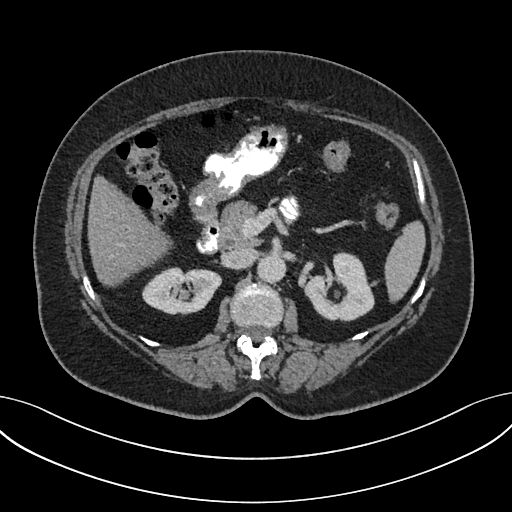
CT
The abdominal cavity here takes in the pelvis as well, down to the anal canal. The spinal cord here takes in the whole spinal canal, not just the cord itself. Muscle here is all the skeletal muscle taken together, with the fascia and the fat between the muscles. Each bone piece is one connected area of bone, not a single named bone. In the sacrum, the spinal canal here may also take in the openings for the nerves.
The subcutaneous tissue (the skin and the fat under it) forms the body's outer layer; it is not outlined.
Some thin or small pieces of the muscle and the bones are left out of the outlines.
Outlines (x, y in pixels):
bones 1: [[252,283],[271,287],[278,292],[283,302],[282,319],[273,329],[277,343],[277,352],[273,355],[266,355],[261,359],[259,364],[261,377],[259,380],[250,378],[251,360],[247,355],[238,350],[236,346],[238,328],[230,315],[230,303],[233,296],[240,289]] with a hole at [[250,325],[261,325],[266,328],[268,328],[271,331],[271,334],[270,334],[269,335],[266,335],[263,338],[263,340],[261,342],[256,344],[253,342],[252,339],[248,335],[247,335],[244,333],[242,333],[242,328],[243,328],[246,326],[249,326]]
bones 2: [[413,158],[416,159],[419,165],[419,168],[421,172],[421,176],[423,180],[424,189],[425,190],[425,205],[422,209],[421,209],[420,207],[420,204],[418,201],[417,182],[416,181],[416,177],[415,176],[415,173],[413,168],[413,164],[412,163],[412,159]]
bones 3: [[423,275],[424,275],[426,277],[426,283],[425,284],[425,286],[424,287],[423,292],[422,294],[418,298],[418,299],[414,303],[410,303],[409,301],[412,297],[412,296],[414,294],[414,293],[416,291],[420,283],[420,281]]
bones 4: [[83,274],[86,274],[87,275],[87,276],[89,279],[89,281],[91,284],[91,286],[92,287],[92,288],[96,295],[96,300],[93,300],[89,296],[89,295],[87,293],[87,292],[84,287],[84,285],[83,284],[83,282],[82,281],[82,275]]
bones 5: [[139,334],[140,335],[142,335],[144,337],[145,337],[148,339],[150,339],[151,340],[153,340],[156,342],[158,342],[159,343],[160,343],[160,345],[159,346],[150,346],[149,345],[148,345],[139,338],[139,337],[138,336],[138,335]]
torso: [[236,49],[303,53],[365,73],[405,98],[449,152],[471,225],[473,305],[455,355],[424,386],[378,405],[316,419],[287,416],[256,396],[224,415],[191,419],[84,385],[47,345],[37,311],[33,226],[42,182],[62,138],[90,104],[118,83],[172,60]]
muscle: [[243,95],[314,102],[399,133],[423,156],[441,210],[441,261],[422,315],[361,365],[310,391],[282,393],[260,380],[262,359],[278,352],[274,329],[284,316],[283,297],[295,303],[297,334],[302,338],[355,341],[408,302],[414,304],[427,283],[430,232],[422,212],[426,190],[420,165],[411,159],[416,192],[404,155],[383,136],[350,122],[258,99],[238,99],[149,126],[120,141],[94,167],[84,199],[80,241],[86,293],[93,301],[97,296],[114,322],[136,332],[150,347],[197,342],[215,327],[221,301],[231,297],[235,346],[249,358],[249,378],[254,380],[234,391],[207,391],[171,378],[105,335],[79,303],[66,260],[63,221],[69,187],[94,149],[160,110],[200,99]]
abdominal cavity: [[238,100],[350,123],[383,137],[401,152],[427,224],[429,255],[415,291],[395,314],[350,337],[316,341],[298,334],[292,298],[252,282],[220,301],[215,325],[205,336],[172,345],[129,329],[107,313],[82,257],[85,199],[95,167],[120,142],[149,127]]
spinal cord: [[250,325],[261,325],[266,328],[268,328],[271,331],[271,334],[270,334],[269,335],[266,335],[263,338],[263,340],[261,342],[256,344],[253,342],[252,339],[248,335],[247,335],[244,333],[242,333],[242,328],[243,328],[246,326],[249,326]]